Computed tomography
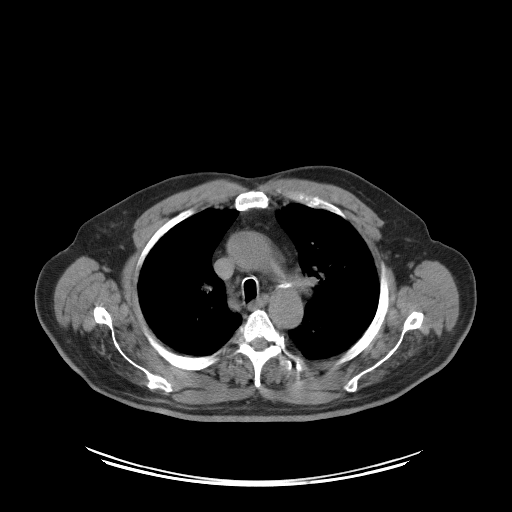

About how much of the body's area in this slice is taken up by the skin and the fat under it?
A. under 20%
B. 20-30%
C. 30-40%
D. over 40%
B. 20-30%
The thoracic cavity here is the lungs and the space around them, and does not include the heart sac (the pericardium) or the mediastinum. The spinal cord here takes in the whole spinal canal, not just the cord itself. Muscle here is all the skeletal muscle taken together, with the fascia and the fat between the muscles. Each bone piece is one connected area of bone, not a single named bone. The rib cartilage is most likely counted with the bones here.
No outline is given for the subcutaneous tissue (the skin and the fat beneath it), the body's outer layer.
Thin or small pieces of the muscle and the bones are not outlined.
Outlines (x, y in pixels):
spinal cord: 256 338; 263 338; 267 342; 267 346; 266 347; 265 347; 263 349; 262 349; 261 350; 256 350; 251 345; 251 342; 254 339; 255 339
muscle 1: 291 177; 309 179; 318 182; 325 182; 337 185; 354 194; 384 221; 384 224; 379 229; 381 233; 381 238; 377 242; 377 245; 379 249; 387 255; 385 262; 391 267; 396 280; 396 285; 398 287; 406 284; 409 285; 411 283; 410 275; 413 272; 414 267; 423 260; 439 261; 450 271; 453 276; 459 294; 459 314; 456 321; 456 327; 451 332; 427 347; 408 365; 379 386; 370 390; 366 390; 354 399; 344 401; 334 400; 321 404; 292 404; 285 402; 273 402; 270 400; 266 400; 259 395; 251 396; 241 400; 226 401; 212 404; 188 404; 155 392; 148 392; 130 382; 118 374; 105 359; 96 354; 90 348; 83 337; 78 333; 74 332; 70 328; 65 329; 59 325; 55 317; 53 307; 53 295; 56 283; 65 269; 78 257; 86 255; 98 262; 97 267; 104 273; 107 278; 111 278; 118 283; 120 279; 120 273; 126 260; 135 250; 132 238; 133 224; 146 209; 155 203; 178 191; 218 178; 229 179; 249 188; 254 188; 257 185; 272 179; inner edges: 252 189; 263 191; 271 202; 288 202; 286 192; 301 191; 338 207; 365 242; 377 273; 384 263; 389 291; 376 336; 356 356; 334 365; 339 354; 309 359; 291 347; 307 367; 298 381; 295 369; 287 371; 275 356; 262 366; 259 388; 252 362; 241 353; 221 354; 200 370; 165 360; 143 333; 144 326; 154 333; 139 314; 134 283; 143 248; 170 218; 192 207; 197 213; 231 206; 240 193, then 96 305; 102 306; 110 314; 114 335; 125 354; 150 372; 164 377; 172 384; 174 389; 173 391; 166 392; 162 389; 150 389; 147 387; 146 375; 142 370; 126 360; 117 350; 113 343; 109 327; 106 324; 97 323; 95 321; 93 308, then 412 311; 420 311; 423 313; 424 317; 420 327; 408 330; 404 334; 403 338; 396 350; 386 360; 377 367; 363 374; 358 379; 357 389; 352 392; 346 391; 343 388; 343 386; 353 376; 373 365; 382 358; 394 346; 400 336; 405 319
muscle 2: 158 339; 159 340; 160 340; 165 345; 166 345; 167 346; 168 346; 170 348; 171 348; 171 349; 172 350; 173 350; 171 350; 170 349; 169 349; 168 348; 167 348; 163 344; 162 344; 158 340
bones 1: 256 309; 267 313; 288 348; 305 361; 307 367; 298 381; 295 369; 287 371; 277 356; 262 366; 259 388; 253 382; 252 362; 241 353; 221 354; 200 370; 181 369; 165 360; 143 333; 146 326; 162 345; 178 354; 206 356; 225 344 with a hole at 256 338; 263 338; 267 342; 267 346; 266 347; 265 347; 263 349; 262 349; 261 350; 256 350; 251 345; 251 342; 254 339; 255 339
bones 2: 381 262; 383 262; 385 265; 386 276; 388 280; 388 290; 389 291; 389 303; 384 320; 376 336; 367 347; 350 360; 338 365; 334 365; 333 362; 340 354; 348 349; 363 334; 375 315; 378 305; 379 292; 380 291; 379 274; 381 268
bones 3: 96 305; 102 306; 110 314; 114 335; 125 354; 150 372; 164 377; 172 384; 174 389; 173 391; 166 392; 162 389; 150 389; 147 387; 146 375; 142 370; 126 360; 117 350; 113 343; 109 327; 106 324; 97 323; 95 321; 93 308
bones 4: 412 311; 420 311; 423 313; 424 317; 420 327; 408 330; 404 334; 403 338; 396 350; 386 360; 377 367; 363 374; 358 379; 357 389; 352 392; 346 391; 343 388; 343 386; 353 376; 373 365; 382 358; 394 346; 400 336; 405 319
bones 5: 192 207; 196 209; 196 212; 170 228; 154 244; 154 245; 148 252; 140 268; 137 283; 136 285; 135 285; 134 283; 134 276; 135 275; 135 268; 136 267; 136 264; 143 248; 149 239; 156 231; 156 230; 170 218; 176 215; 178 213
bones 6: 252 189; 253 190; 260 190; 261 191; 263 191; 268 196; 268 197; 270 199; 270 201; 267 207; 265 208; 250 208; 244 211; 238 211; 235 208; 231 206; 235 198; 240 193; 242 192; 245 192; 246 191; 248 191
bones 7: 289 191; 301 191; 309 195; 317 196; 338 207; 346 215; 347 219; 345 219; 341 216; 326 209; 322 209; 321 208; 314 208; 313 207; 310 207; 303 203; 297 202; 296 201; 293 201; 289 198; 286 197; 284 194; 286 192; 288 192
torso: 313 164; 347 169; 380 187; 421 217; 433 239; 469 261; 476 281; 475 314; 441 370; 390 402; 347 415; 294 422; 204 422; 112 399; 90 387; 64 361; 39 323; 34 290; 44 263; 73 240; 82 223; 171 176; 223 171; 251 177
thoracic cavity 1: 225 206; 235 209; 238 214; 214 249; 211 256; 211 265; 216 275; 224 284; 226 303; 229 310; 238 313; 241 316; 242 322; 227 341; 210 354; 189 355; 178 353; 159 339; 145 320; 137 291; 140 271; 149 252; 170 229; 204 209
thoracic cavity 2: 292 201; 310 208; 326 210; 347 220; 365 242; 378 274; 378 299; 371 321; 348 348; 327 358; 306 358; 296 348; 288 346; 285 336; 288 335; 289 330; 302 323; 305 305; 310 298; 310 290; 300 266; 299 251; 276 217; 276 212
mediastinum: 279 200; 291 201; 278 209; 275 217; 298 251; 299 266; 309 290; 301 323; 289 329; 287 335; 274 325; 263 309; 254 309; 243 321; 238 312; 231 311; 227 303; 225 284; 212 265; 215 249; 239 212; 265 209; 270 202